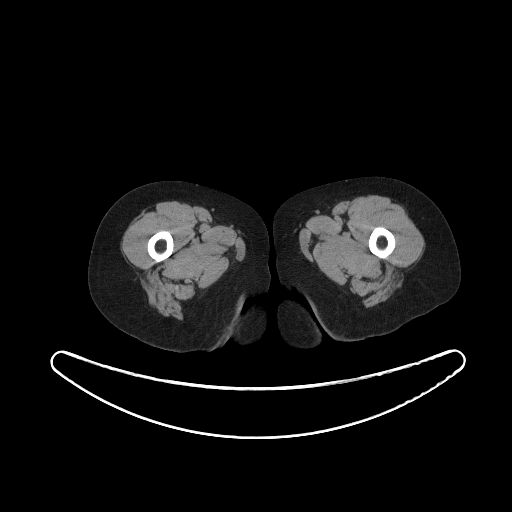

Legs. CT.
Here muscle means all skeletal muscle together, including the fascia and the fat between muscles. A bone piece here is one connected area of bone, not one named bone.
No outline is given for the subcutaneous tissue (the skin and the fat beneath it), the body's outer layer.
{"bones":[[[377,226],[383,226],[385,227],[391,232],[392,232],[395,238],[395,247],[392,251],[392,252],[386,258],[380,258],[378,257],[370,251],[369,249],[369,247],[368,246],[368,239],[369,238],[369,236],[373,228]],[[159,230],[167,230],[170,232],[170,233],[173,238],[173,251],[172,252],[172,253],[167,258],[164,259],[160,262],[155,262],[155,261],[149,255],[149,254],[147,251],[147,242],[148,241],[148,239],[153,234],[154,234],[157,231],[158,231]]],"muscle":[{"outer":[[362,192],[375,192],[387,196],[397,197],[406,207],[409,217],[422,234],[425,242],[422,256],[418,263],[406,275],[399,293],[373,309],[363,309],[355,301],[346,296],[322,273],[310,265],[303,258],[302,253],[297,244],[300,225],[309,216],[349,196]],"hole":[[377,226],[383,226],[385,227],[391,232],[392,232],[395,238],[395,247],[392,251],[392,252],[386,258],[380,258],[378,257],[370,251],[369,249],[369,247],[368,246],[368,239],[369,238],[369,236],[373,228]]},{"outer":[[171,200],[187,201],[211,209],[219,217],[239,228],[245,234],[247,242],[247,251],[241,262],[236,267],[226,272],[193,305],[186,321],[176,321],[162,316],[152,310],[134,270],[124,258],[120,249],[120,243],[125,230],[131,221],[144,208],[160,201]],"hole":[[159,230],[167,230],[170,232],[170,233],[173,238],[173,251],[172,252],[172,253],[167,258],[164,259],[160,262],[155,262],[155,261],[149,255],[149,254],[147,251],[147,242],[148,241],[148,239],[153,234],[154,234],[157,231],[158,231]]}],"right_leg":[[[160,180],[188,181],[225,192],[250,205],[262,218],[269,239],[271,279],[267,293],[261,298],[267,309],[267,325],[257,342],[240,346],[229,341],[209,352],[164,350],[124,333],[111,324],[94,304],[87,284],[87,268],[94,235],[102,217],[126,192]]],"left_leg":[[[360,176],[396,178],[413,185],[432,199],[445,216],[458,248],[460,285],[447,302],[391,333],[349,342],[337,341],[324,333],[322,342],[316,347],[293,348],[282,340],[276,323],[277,305],[289,293],[280,284],[276,272],[273,217],[284,201],[303,190]]]}